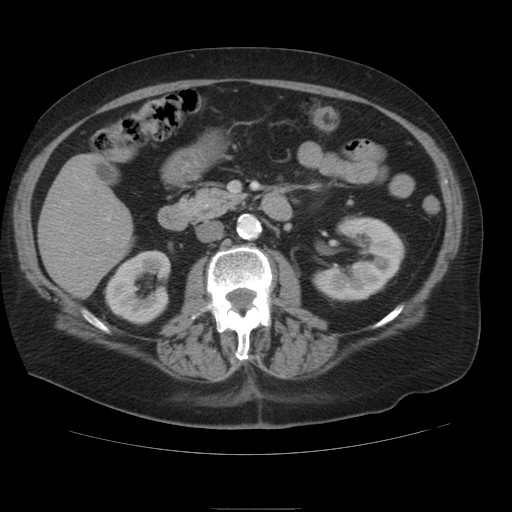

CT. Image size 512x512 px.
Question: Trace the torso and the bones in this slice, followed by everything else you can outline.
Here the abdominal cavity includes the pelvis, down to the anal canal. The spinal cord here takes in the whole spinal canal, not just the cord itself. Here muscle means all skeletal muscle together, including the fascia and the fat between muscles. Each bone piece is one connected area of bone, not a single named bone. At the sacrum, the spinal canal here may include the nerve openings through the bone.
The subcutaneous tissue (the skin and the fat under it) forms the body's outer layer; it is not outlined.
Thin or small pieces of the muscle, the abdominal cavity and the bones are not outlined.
Answer: The torso is outlined by 218 46; 296 48; 363 63; 407 85; 447 125; 470 168; 483 215; 481 331; 475 359; 463 377; 432 392; 410 394; 379 413; 279 429; 210 429; 128 414; 28 373; 6 312; 0 238; 12 176; 38 120; 68 91; 108 69; 160 53. The bones appear in 3 outlined pieces: piece 1: 242 245; 255 246; 268 256; 273 278; 270 293; 271 325; 267 327; 260 324; 250 332; 249 358; 239 360; 234 355; 238 345; 237 333; 231 329; 218 332; 211 312; 200 310; 211 300; 211 295; 206 290; 206 269; 210 258; 219 250; inner edge: 237 289; 247 289; 250 291; 252 291; 254 292; 255 294; 251 302; 251 304; 252 306; 250 308; 247 309; 245 311; 244 314; 242 315; 239 312; 232 309; 232 303; 227 298; 227 295; 229 293; piece 2: 401 302; 403 302; 404 303; 404 307; 402 311; 393 320; 377 328; 372 328; 372 325; 373 324; 374 324; 376 322; 380 320; 391 310; 392 310; 397 304; piece 3: 83 307; 86 308; 90 312; 91 312; 95 316; 96 316; 102 322; 103 322; 103 323; 110 330; 110 333; 106 333; 105 332; 102 331; 100 329; 95 327; 90 323; 89 323; 83 317; 83 316; 81 313; 81 308; 82 308. The muscle is outlined by 226 77; 262 78; 263 79; 268 78; 269 79; 292 80; 328 86; 355 94; 372 101; 400 115; 425 131; 433 138; 437 145; 446 154; 461 189; 463 200; 462 234; 457 256; 451 262; 443 279; 433 291; 432 297; 429 300; 427 315; 423 322; 415 327; 403 331; 400 334; 374 343; 365 349; 359 351; 343 360; 327 372; 314 378; 310 378; 305 380; 281 379; 265 374; 248 361; 243 361; 237 366; 233 371; 233 374; 230 377; 224 381; 214 383; 186 383; 178 381; 157 368; 144 363; 138 359; 119 353; 117 351; 108 349; 102 345; 87 340; 83 340; 71 335; 68 335; 62 331; 54 328; 53 322; 54 321; 54 314; 57 310; 56 305; 52 301; 42 297; 26 279; 24 276; 24 273; 20 270; 16 244; 14 239; 14 229; 12 221; 13 220; 12 210; 14 198; 23 173; 27 169; 31 160; 50 141; 65 129; 78 120; 91 113; 98 107; 123 94; 139 88; 162 82; 171 82; 177 80; 197 79; 198 78; 215 78; 217 79, around a hole outlined by 223 82; 365 104; 421 145; 449 234; 393 320; 330 330; 301 305; 298 270; 269 249; 271 325; 250 332; 239 360; 237 333; 218 332; 200 310; 211 300; 207 255; 157 337; 103 319; 102 331; 46 276; 32 204; 58 145; 103 112. The spinal cord is outlined by 237 289; 247 289; 250 291; 252 291; 254 292; 255 294; 251 302; 251 304; 252 306; 250 308; 247 309; 245 311; 244 314; 242 315; 239 312; 232 309; 232 303; 227 298; 227 295; 229 293. The abdominal cavity is outlined by 223 82; 365 104; 417 140; 433 167; 445 229; 433 267; 414 293; 374 323; 330 330; 325 319; 301 305; 299 272; 279 251; 232 245; 191 266; 179 312; 161 335; 147 337; 100 319; 54 285; 40 265; 32 204; 58 145; 103 112.